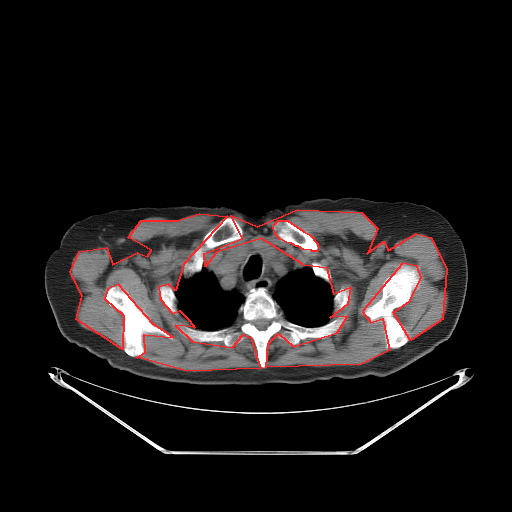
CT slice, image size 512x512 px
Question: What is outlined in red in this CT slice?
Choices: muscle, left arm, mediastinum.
Answer: red: muscle.
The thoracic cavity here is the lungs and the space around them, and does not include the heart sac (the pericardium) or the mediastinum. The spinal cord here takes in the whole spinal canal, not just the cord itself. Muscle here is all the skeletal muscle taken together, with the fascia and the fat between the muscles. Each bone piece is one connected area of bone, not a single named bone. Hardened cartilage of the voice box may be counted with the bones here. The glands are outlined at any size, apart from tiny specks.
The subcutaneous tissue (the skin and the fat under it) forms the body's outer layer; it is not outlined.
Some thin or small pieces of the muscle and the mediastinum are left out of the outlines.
Outlines (x, y in pixels):
muscle 1: (297, 209) (361, 212) (377, 228) (367, 253) (383, 241) (388, 250) (416, 233) (430, 237) (446, 268) (442, 319) (410, 340) (393, 312) (410, 300) (421, 277) (417, 266) (402, 263) (362, 311) (370, 322) (382, 318) (389, 350) (361, 364) (266, 367) (268, 343) (278, 333) (293, 346) (337, 332) (347, 316) (330, 317) (348, 303) (351, 287) (334, 294) (327, 268) (304, 265) (261, 238) (216, 252) (205, 266) (204, 253) (242, 238) (231, 215) (257, 226); inner edge: (278, 220) (287, 220) (300, 229) (301, 229) (303, 231) (309, 234) (317, 243) (317, 245) (318, 246) (317, 250) (316, 251) (312, 251) (311, 250) (303, 249) (298, 246) (296, 246) (291, 243) (286, 242) (280, 239) (275, 234) (275, 232) (273, 228) (274, 224)
muscle 2: (199, 213) (227, 216) (183, 264) (175, 290) (168, 284) (158, 287) (160, 299) (172, 313) (179, 310) (189, 320) (194, 327) (175, 325) (192, 341) (232, 347) (243, 334) (250, 337) (260, 368) (187, 371) (137, 357) (145, 352) (144, 334) (173, 337) (153, 324) (118, 284) (107, 289) (104, 298) (123, 315) (122, 349) (76, 319) (82, 295) (70, 272) (79, 251) (106, 247) (112, 264) (137, 252) (147, 256) (151, 250) (128, 237) (141, 220) (177, 220)
right arm: (68, 228) (71, 234) (71, 237) (72, 238) (72, 244) (73, 245) (73, 278) (67, 289) (67, 291) (62, 298) (57, 303) (55, 303) (50, 306) (45, 293) (45, 288) (44, 287) (44, 266) (45, 265) (45, 262) (48, 255) (52, 250) (55, 249) (59, 245) (62, 236)
mediastinum: (248, 244) (261, 247) (268, 262) (275, 255) (275, 250) (279, 249) (289, 251) (304, 266) (290, 270) (286, 275) (282, 276) (276, 282) (272, 294) (263, 286) (252, 287) (243, 294) (237, 289) (225, 290) (221, 287) (213, 271) (208, 271) (203, 266) (207, 266) (216, 253)
spinal cord: (259, 318) (265, 318) (266, 319) (267, 319) (268, 320) (269, 320) (269, 324) (266, 327) (266, 328) (265, 329) (258, 329) (255, 326) (255, 325) (252, 322) (254, 320) (255, 320) (256, 319) (258, 319)
bones 1: (258, 287) (265, 288) (284, 317) (295, 324) (316, 327) (343, 315) (344, 323) (329, 336) (307, 337) (293, 345) (278, 332) (274, 334) (266, 346) (263, 368) (253, 339) (244, 333) (232, 346) (222, 341) (192, 340) (178, 331) (176, 323) (206, 331) (236, 326) (244, 294); inner edge: (259, 318) (265, 318) (266, 319) (267, 319) (268, 320) (269, 320) (269, 324) (266, 327) (266, 328) (265, 329) (258, 329) (255, 326) (255, 325) (252, 322) (254, 320) (255, 320) (256, 319) (258, 319)
bones 2: (402, 264) (417, 267) (420, 283) (419, 286) (412, 291) (409, 300) (404, 305) (395, 308) (392, 312) (392, 315) (404, 327) (409, 340) (402, 346) (391, 349) (386, 348) (385, 322) (383, 318) (379, 317) (370, 321) (369, 317) (363, 314) (363, 311) (381, 298) (383, 282)
bones 3: (116, 285) (126, 290) (133, 302) (144, 312) (150, 322) (168, 333) (172, 339) (156, 332) (144, 333) (142, 336) (142, 345) (144, 349) (143, 354) (141, 356) (134, 357) (128, 355) (123, 349) (125, 344) (123, 334) (124, 315) (120, 310) (109, 305) (105, 298) (107, 290)
bones 4: (228, 216) (235, 219) (241, 227) (242, 229) (241, 238) (220, 244) (213, 248) (209, 249) (206, 248) (203, 253) (203, 263) (201, 270) (189, 277) (184, 277) (183, 276) (184, 264) (186, 262) (192, 261) (194, 251) (197, 247) (204, 246) (202, 241) (203, 237) (220, 220)
bones 5: (278, 220) (287, 220) (300, 229) (301, 229) (303, 231) (309, 234) (317, 243) (317, 245) (318, 246) (317, 250) (316, 251) (312, 251) (311, 250) (303, 249) (298, 246) (296, 246) (291, 243) (286, 242) (280, 239) (275, 234) (275, 232) (273, 228) (274, 224)
bones 6: (161, 285) (168, 285) (169, 286) (170, 286) (174, 291) (174, 293) (175, 294) (175, 295) (176, 296) (176, 298) (177, 299) (177, 307) (178, 308) (178, 314) (175, 314) (173, 312) (172, 312) (166, 306) (166, 305) (161, 299) (160, 294) (158, 291) (158, 289)
bones 7: (343, 286) (349, 286) (350, 287) (350, 288) (351, 289) (351, 292) (350, 293) (350, 297) (349, 298) (349, 300) (347, 302) (347, 303) (341, 309) (340, 309) (337, 311) (335, 311) (333, 309) (333, 298) (334, 297) (334, 295) (339, 290) (339, 289) (341, 287) (342, 287)
bones 8: (313, 262) (317, 262) (318, 263) (319, 263) (322, 266) (323, 266) (330, 272) (330, 274) (331, 275) (331, 280) (329, 283) (328, 283) (325, 280) (324, 280) (322, 278) (321, 278) (318, 276) (316, 276) (315, 275) (315, 274) (313, 271) (313, 269) (312, 268) (312, 263)
torso: (320, 197) (408, 201) (427, 206) (418, 235) (423, 268) (444, 299) (463, 307) (448, 339) (392, 374) (298, 384) (172, 382) (114, 368) (69, 342) (57, 327) (50, 307) (63, 298) (74, 278) (69, 227) (82, 218) (120, 208) (178, 205) (229, 206) (257, 217) (274, 207)
thyroid glands 1: (251, 239) (253, 240) (255, 239) (261, 239) (265, 241) (267, 243) (267, 244) (269, 246) (270, 246) (271, 248) (275, 251) (275, 253) (274, 255) (268, 261) (266, 257) (266, 254) (263, 250) (263, 248) (259, 245) (254, 246) (250, 242) (250, 240)
thyroid glands 2: (239, 252) (240, 252) (241, 252) (242, 252) (243, 252) (243, 253) (243, 254) (243, 255) (242, 256) (242, 257) (241, 258) (240, 258) (239, 258) (238, 257) (238, 256) (237, 255) (237, 254) (238, 253)
thyroid glands 3: (231, 250) (232, 250) (233, 250) (234, 251) (234, 252) (233, 253) (232, 253) (231, 253) (230, 252) (230, 251)
left arm: (428, 206) (440, 212) (446, 217) (454, 229) (459, 234) (463, 242) (466, 253) (467, 267) (468, 268) (467, 289) (463, 305) (455, 304) (444, 298) (434, 288) (430, 282) (424, 268) (421, 258) (421, 249) (419, 243) (419, 235) (420, 234) (420, 228) (422, 224) (422, 219)
thoracic cavity 1: (203, 267) (208, 272) (212, 271) (220, 287) (223, 290) (225, 291) (237, 290) (244, 296) (244, 300) (237, 310) (239, 318) (236, 325) (229, 325) (213, 330) (196, 328) (190, 320) (180, 311) (178, 307) (178, 299) (175, 293) (179, 283) (182, 279) (189, 278) (199, 273)
thoracic cavity 2: (305, 266) (310, 267) (316, 277) (322, 279) (329, 284) (333, 293) (332, 310) (329, 320) (321, 325) (304, 326) (287, 319) (285, 317) (283, 311) (280, 308) (280, 306) (272, 296) (275, 291) (275, 287) (277, 282) (282, 277) (286, 276) (290, 271) (295, 271) (301, 269)